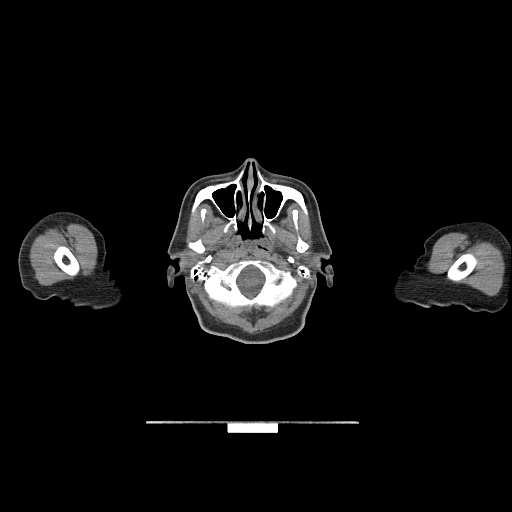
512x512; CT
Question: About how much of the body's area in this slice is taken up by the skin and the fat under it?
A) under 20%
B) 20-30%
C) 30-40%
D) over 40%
Answer: C) 30-40%
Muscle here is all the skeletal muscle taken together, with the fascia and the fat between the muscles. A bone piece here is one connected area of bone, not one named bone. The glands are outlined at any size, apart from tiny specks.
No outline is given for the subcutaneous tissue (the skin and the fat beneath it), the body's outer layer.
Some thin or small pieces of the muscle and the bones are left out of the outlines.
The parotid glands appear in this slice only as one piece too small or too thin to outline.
The right arm is outlined by 56,211 77,213 89,220 101,232 106,248 104,266 109,269 111,275 116,278 116,283 123,290 121,303 111,308 92,309 86,306 73,306 67,300 56,296 40,300 23,288 18,270 18,253 22,240 40,218. The head is outlined by 248,157 311,189 331,248 321,264 331,265 332,286 318,273 302,328 293,336 268,343 244,343 205,331 186,293 184,278 179,275 172,287 167,284 168,266 172,263 179,269 167,249 185,192 197,179 231,171 with holes at 232,185 235,186 234,187 234,190 232,195 232,202 233,203 234,212 231,216 228,216 226,215 226,214 222,210 220,206 217,203 216,200 214,198 214,194 216,192 220,190 223,190 229,186 231,186 and at 247,214 247,226 250,230 252,228 252,221 253,220 253,219 258,224 260,224 261,225 261,236 257,239 254,239 253,238 247,238 246,239 243,239 238,233 238,223 239,222 241,222 242,221 243,221 245,219 and at 266,187 268,187 275,192 277,192 280,195 280,197 281,198 280,199 279,204 277,207 277,209 275,213 271,217 268,217 265,211 265,208 266,207 266,202 267,201 267,195 266,194 266,189 265,188 and at 247,164 248,164 248,169 247,170 247,175 246,176 246,178 245,179 245,182 244,183 243,183 243,182 242,181 242,178 243,177 243,176 244,175 244,173 245,172 245,170 246,169 246,168 247,167 and at 253,164 254,164 254,169 255,170 255,172 256,173 256,177 257,178 257,182 256,183 256,184 255,185 255,179 254,178 254,168 253,167. The muscle appears in 3 outlined pieces: piece 1: 234,177 200,188 190,208 192,216 203,201 210,201 226,219 222,229 224,233 232,227 243,240 257,240 267,229 274,235 276,229 273,221 289,200 299,206 308,220 309,212 305,198 292,186 295,185 306,193 313,212 315,247 311,252 311,284 291,323 258,334 249,334 210,320 197,296 192,292 188,279 187,255 182,241 186,212 193,192 209,181, around holes outlined by 208,255 212,256 210,263 222,270 229,264 240,260 258,259 271,262 277,268 290,270 295,276 297,266 299,264 305,265 310,270 310,277 300,278 292,294 273,307 231,308 210,299 203,285 189,277 190,268 and by 199,238 200,238 202,240 202,243 204,245 204,246 205,247 205,250 204,251 204,252 203,252 202,253 198,253 197,252 196,252 194,250 189,248 187,246 187,243 189,241 195,241 196,240 197,240 and by 297,235 299,235 300,236 300,237 305,242 306,242 307,243 308,243 309,244 309,247 304,252 302,252 301,253 300,253 299,252 298,252 297,251 297,250 296,249 296,244 297,243 and by 293,209 296,209 297,210 297,211 298,212 298,213 297,214 297,230 296,230 295,229 295,228 294,227 294,224 293,223 293,220 292,219 292,210 and by 202,208 204,208 205,209 206,209 206,212 205,213 205,217 204,218 204,220 203,221 203,222 202,222 202,221 201,220 201,215 200,214 200,212 201,211 201,209; piece 2: 449,232 466,233 472,239 480,239 490,241 494,243 502,251 505,269 503,276 503,283 497,295 487,296 469,286 463,284 445,282 441,279 435,277 426,270 426,264 430,257 432,247 434,243 442,235; inner edge: 464,253 471,253 476,258 477,260 477,262 473,270 469,274 468,274 465,277 462,278 459,281 454,282 453,281 451,281 447,279 446,277 446,273 448,269 450,267 450,266 455,261 455,260; piece 3: 60,222 65,224 71,222 82,224 93,234 98,252 97,265 93,275 91,276 80,275 70,280 64,280 49,286 44,286 39,284 33,276 33,271 29,259 29,250 32,241 38,234 41,233 45,228 55,226; inner edge: 60,245 63,245 64,246 66,246 74,255 75,258 77,260 79,264 79,271 77,275 75,276 71,276 69,275 67,273 63,271 57,265 57,264 55,262 53,258 53,254 56,248. The left arm is outlined by 469,221 483,221 492,224 503,233 510,244 509,286 504,307 491,313 486,311 474,312 462,305 447,307 435,305 427,308 396,301 392,297 392,287 396,277 401,270 413,268 417,257 424,252 424,241 443,226. The brain is outlined by 248,266 253,266 257,268 261,272 261,273 264,277 264,280 263,281 263,283 260,287 259,290 253,296 251,297 249,297 247,295 246,295 240,289 237,283 237,278 239,276 241,272 246,267. The bones appear in 7 outlined pieces: piece 1: 208,255 212,256 210,263 222,270 229,264 240,260 258,259 271,262 277,268 290,270 295,276 297,266 299,264 305,265 310,270 310,277 300,278 292,294 273,307 231,308 210,299 203,285 189,277 190,268, around a hole outlined by 248,266 253,266 257,268 261,272 261,273 264,277 264,280 263,281 263,283 260,287 259,290 253,296 251,297 249,297 247,295 246,295 240,289 237,283 237,278 239,276 241,272 246,267; piece 2: 246,162 253,163 255,186 258,182 255,164 265,180 271,183 288,185 297,189 304,198 308,219 300,206 290,199 285,202 279,215 272,221 275,229 274,234 268,228 262,234 262,225 253,218 250,229 247,213 244,219 237,223 237,232 232,226 224,232 223,229 227,219 221,215 208,199 203,200 191,215 191,208 195,196 200,189 211,184 233,180; inner edges: 232,185 235,186 234,187 234,190 232,195 232,202 233,203 234,212 231,216 228,216 226,215 226,214 222,210 220,206 217,203 216,200 214,198 214,194 216,192 220,190 223,190 229,186 231,186, then 266,187 268,187 275,192 277,192 280,195 280,197 281,198 280,199 279,204 277,207 277,209 275,213 271,217 268,217 265,211 265,208 266,207 266,202 267,201 267,195 266,194 266,189 265,188, then 247,164 248,164 248,169 247,170 247,175 246,176 246,178 245,179 245,182 244,183 243,183 243,182 242,181 242,178 243,177 243,176 244,175 244,173 245,172 245,170 246,169 246,168 247,167; piece 3: 464,253 471,253 476,258 477,260 477,262 473,270 469,274 468,274 465,277 462,278 459,281 454,282 453,281 451,281 447,279 446,277 446,273 448,269 450,267 450,266 455,261 455,260; piece 4: 60,245 63,245 64,246 66,246 74,255 75,258 77,260 79,264 79,271 77,275 75,276 71,276 69,275 67,273 63,271 57,265 57,264 55,262 53,258 53,254 56,248; piece 5: 199,238 200,238 202,240 202,243 204,245 204,246 205,247 205,250 204,251 204,252 203,252 202,253 198,253 197,252 196,252 194,250 189,248 187,246 187,243 189,241 195,241 196,240 197,240; piece 6: 297,235 299,235 300,236 300,237 305,242 306,242 307,243 308,243 309,244 309,247 304,252 302,252 301,253 300,253 299,252 298,252 297,251 297,250 296,249 296,244 297,243; piece 7: 293,209 296,209 297,210 297,211 298,212 298,213 297,214 297,230 296,230 295,229 295,228 294,227 294,224 293,223 293,220 292,219 292,210.